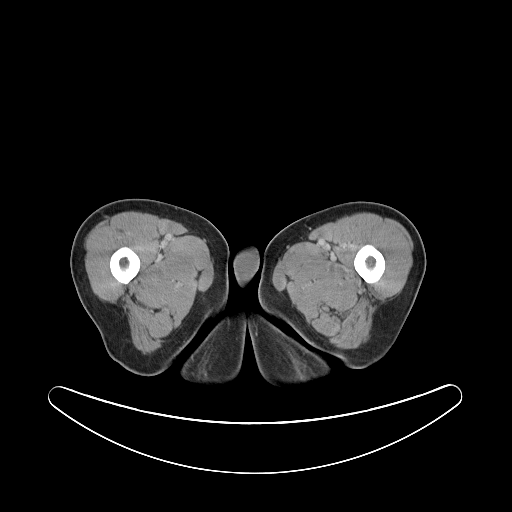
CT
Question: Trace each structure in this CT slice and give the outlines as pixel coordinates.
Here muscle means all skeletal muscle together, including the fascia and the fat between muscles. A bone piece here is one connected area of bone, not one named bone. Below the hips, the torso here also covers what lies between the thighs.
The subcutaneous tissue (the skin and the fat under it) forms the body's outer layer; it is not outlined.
Answer: The muscle appears in 2 outlined pieces: piece 1: 363 211; 376 211; 389 216; 398 221; 407 230; 413 242; 413 263; 401 292; 392 299; 380 305; 375 312; 369 340; 357 348; 345 351; 339 348; 334 348; 306 323; 277 290; 270 277; 270 272; 282 247; 301 233; 315 228; 338 216, around a hole outlined by 365 244; 371 244; 373 245; 379 251; 381 252; 385 260; 385 269; 381 277; 376 282; 374 283; 367 283; 365 282; 364 280; 357 273; 357 272; 355 270; 355 268; 353 264; 353 261; 354 260; 354 258; 357 251; 361 246; piece 2: 136 209; 157 214; 197 230; 208 242; 214 258; 214 278; 210 286; 203 293; 189 313; 185 322; 164 347; 146 355; 141 354; 133 346; 127 316; 122 309; 117 305; 98 300; 93 293; 84 263; 85 255; 83 239; 85 235; 108 214 with a hole at 123 246; 127 246; 131 248; 137 254; 137 255; 139 257; 139 260; 140 261; 140 267; 137 274; 128 283; 126 284; 124 284; 117 281; 112 275; 110 271; 110 268; 109 267; 109 261; 110 260; 110 257; 111 255; 117 249. The bones appear in 2 outlined pieces: piece 1: 365 244; 371 244; 373 245; 379 251; 381 252; 385 260; 385 269; 381 277; 376 282; 374 283; 367 283; 365 282; 364 280; 357 273; 357 272; 355 270; 355 268; 353 264; 353 261; 354 260; 354 258; 357 251; 361 246; piece 2: 123 246; 127 246; 131 248; 137 254; 137 255; 139 257; 139 260; 140 261; 140 267; 137 274; 128 283; 126 284; 124 284; 117 281; 112 275; 110 271; 110 268; 109 267; 109 261; 110 260; 110 257; 111 255; 117 249. The torso is outlined by 247 244; 253 244; 258 248; 259 250; 259 253; 261 256; 261 261; 260 262; 260 265; 258 268; 258 270; 249 283; 245 287; 240 287; 237 284; 237 282; 235 279; 234 273; 233 272; 233 258; 235 253; 240 248. The left leg is outlined by 358 200; 389 205; 416 227; 425 249; 426 268; 413 306; 395 342; 377 362; 351 368; 321 352; 331 367; 324 379; 298 386; 271 385; 256 365; 247 332; 249 310; 312 347; 288 324; 268 315; 259 303; 265 248; 290 223; 326 207. The right leg appears in 2 outlined pieces: piece 1: 124 198; 154 199; 193 211; 205 217; 221 232; 229 248; 227 264; 228 294; 224 310; 199 330; 169 367; 162 372; 150 376; 134 374; 126 370; 108 355; 96 326; 80 302; 70 271; 71 247; 76 231; 81 223; 98 207; 111 201; piece 2: 234 309; 235 310; 236 309; 242 309; 246 312; 247 316; 246 317; 246 337; 244 346; 244 356; 241 370; 238 376; 233 381; 225 385; 207 385; 206 384; 193 383; 182 379; 179 375; 179 369; 184 360; 206 335; 213 325; 221 317.